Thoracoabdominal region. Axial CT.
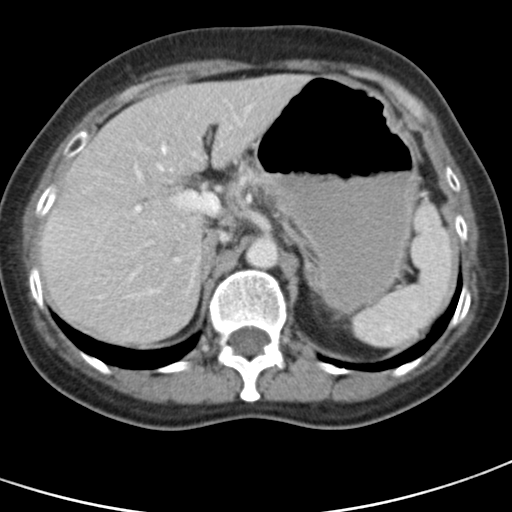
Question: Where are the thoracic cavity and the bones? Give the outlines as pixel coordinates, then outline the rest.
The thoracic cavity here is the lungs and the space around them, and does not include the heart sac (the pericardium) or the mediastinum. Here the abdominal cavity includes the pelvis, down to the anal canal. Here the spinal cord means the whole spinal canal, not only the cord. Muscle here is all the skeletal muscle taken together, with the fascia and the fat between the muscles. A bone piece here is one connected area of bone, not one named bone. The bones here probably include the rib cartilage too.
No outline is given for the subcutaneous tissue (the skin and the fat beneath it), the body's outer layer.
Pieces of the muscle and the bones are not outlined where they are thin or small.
Answer: Outlines (x, y in pixels):
thoracic cavity 1: (51, 313) (58, 316) (72, 328) (95, 340) (113, 346) (132, 350) (155, 350) (168, 348) (177, 345) (196, 335) (198, 335) (198, 342) (191, 351) (176, 361) (155, 368) (143, 369) (125, 368) (116, 365) (107, 364) (98, 357) (89, 354) (80, 349) (61, 330) (52, 318)
thoracic cavity 2: (459, 274) (461, 274) (462, 277) (462, 284) (452, 316) (441, 335) (423, 354) (393, 368) (375, 371) (339, 366) (330, 362) (320, 360) (318, 358) (317, 356) (320, 355) (354, 364) (374, 364) (389, 359) (407, 350) (423, 340) (431, 331) (434, 324) (444, 314) (456, 290)
bones 1: (243, 269) (260, 270) (272, 275) (279, 283) (287, 305) (286, 320) (280, 332) (280, 349) (285, 366) (280, 369) (273, 365) (258, 374) (255, 384) (260, 397) (252, 402) (240, 398) (243, 379) (239, 372) (218, 364) (219, 335) (209, 317) (209, 303) (217, 285) (230, 274), around a hole outlined by (243, 327) (255, 327) (261, 330) (263, 330) (268, 335) (269, 340) (268, 342) (266, 343) (262, 347) (262, 351) (261, 352) (253, 356) (248, 357) (240, 353) (238, 353) (236, 352) (235, 349) (229, 343) (229, 339) (230, 338) (230, 335) (236, 330) (240, 328) (242, 328)
bones 2: (380, 79) (387, 80) (396, 86) (400, 87) (414, 99) (415, 99) (423, 109) (423, 111) (426, 118) (425, 121) (424, 122) (420, 122) (418, 121) (418, 120) (409, 111) (409, 110) (398, 100) (395, 95) (389, 89) (388, 89) (386, 86) (384, 86) (381, 83)
bones 3: (463, 284) (466, 285) (470, 292) (471, 301) (469, 305) (469, 308) (465, 317) (455, 326) (451, 328) (449, 328) (448, 327) (448, 325) (453, 316) (453, 314) (457, 306) (457, 304) (459, 300) (459, 297) (460, 296) (460, 293) (461, 292) (461, 289) (462, 288) (462, 285)
bones 4: (33, 266) (36, 266) (38, 269) (39, 279) (41, 283) (41, 290) (42, 291) (42, 295) (43, 296) (43, 301) (44, 302) (44, 305) (46, 308) (46, 312) (44, 312) (39, 308) (38, 305) (35, 302) (31, 294) (31, 291) (29, 286) (29, 272) (30, 271) (30, 269)
bones 5: (53, 183) (54, 184) (56, 184) (57, 186) (57, 191) (56, 192) (55, 199) (53, 203) (47, 211) (47, 212) (43, 216) (41, 217) (39, 217) (35, 214) (35, 208) (36, 207) (36, 204) (41, 194) (43, 192) (43, 191) (49, 185)
bones 6: (83, 129) (85, 129) (87, 130) (88, 132) (88, 139) (87, 140) (87, 142) (85, 144) (85, 145) (77, 153) (75, 154) (75, 155) (74, 155) (70, 158) (67, 158) (65, 157) (63, 155) (63, 151) (67, 143) (69, 141) (69, 140) (77, 132)
bones 7: (78, 349) (85, 352) (89, 355) (94, 356) (95, 357) (98, 358) (103, 362) (104, 362) (107, 365) (108, 365) (109, 368) (112, 371) (112, 373) (111, 374) (104, 374) (103, 373) (100, 372) (95, 368) (94, 368) (91, 365) (90, 365) (84, 360) (84, 359) (80, 355)
bones 8: (153, 79) (155, 80) (154, 80) (150, 84) (150, 85) (149, 85) (144, 89) (141, 90) (126, 101) (117, 101) (116, 99) (117, 97) (126, 89) (129, 88) (133, 85) (135, 85) (136, 84) (138, 84) (142, 82) (145, 82) (148, 80) (152, 80)
bones 9: (422, 355) (423, 355) (423, 357) (422, 358) (422, 360) (419, 363) (419, 364) (416, 367) (410, 370) (405, 374) (403, 375) (401, 375) (400, 376) (394, 376) (391, 374) (391, 370) (392, 369) (406, 362) (411, 361) (417, 358) (419, 356) (421, 356)
spinal cord: (243, 327) (255, 327) (261, 330) (263, 330) (268, 335) (269, 340) (268, 342) (266, 343) (262, 347) (262, 351) (261, 352) (253, 356) (248, 357) (240, 353) (238, 353) (236, 352) (235, 349) (229, 343) (229, 339) (230, 338) (230, 335) (236, 330) (240, 328) (242, 328)
torso: (270, 24) (322, 25) (369, 37) (409, 58) (434, 82) (483, 163) (500, 203) (509, 259) (501, 318) (469, 364) (442, 390) (361, 427) (313, 429) (248, 418) (162, 431) (92, 411) (40, 376) (13, 327) (0, 286) (0, 199) (7, 181) (65, 97) (118, 53) (189, 28)
muscle: (211, 58) (227, 58) (256, 64) (264, 63) (271, 60) (287, 58) (311, 58) (312, 59) (324, 59) (337, 62) (343, 61) (365, 65) (395, 78) (413, 94) (420, 98) (429, 109) (435, 113) (441, 123) (442, 130) (447, 141) (447, 145) (450, 152) (467, 183) (471, 199) (471, 204) (475, 214) (475, 219) (479, 234) (477, 242) (477, 256) (478, 257) (477, 286) (479, 290) (478, 293) (479, 303) (476, 312) (476, 318) (463, 336) (453, 345) (449, 352) (435, 366) (414, 379) (402, 384) (399, 384) (374, 398) (353, 403) (326, 403) (325, 402) (303, 403) (302, 402) (269, 402) (268, 401) (246, 403) (243, 401) (234, 401) (228, 403) (211, 405) (188, 405) (187, 404) (176, 404) (170, 402) (167, 404) (157, 404) (136, 399) (128, 395) (120, 393) (113, 390) (107, 385) (87, 377) (76, 369) (71, 367) (51, 349) (44, 342) (38, 332) (35, 330) (34, 325) (30, 320) (28, 314) (28, 308) (24, 292) (22, 271) (20, 265) (20, 241) (22, 227) (21, 219) (30, 196) (37, 186) (38, 181) (56, 148) (71, 130) (76, 122) (89, 110) (116, 91) (121, 90) (141, 74) (178, 62) with holes at (268, 68) (335, 70) (382, 87) (387, 80) (421, 106) (426, 119) (417, 123) (460, 183) (449, 195) (467, 226) (467, 239) (459, 239) (471, 296) (465, 317) (403, 375) (391, 368) (332, 374) (317, 365) (287, 307) (285, 366) (258, 374) (260, 397) (252, 402) (240, 398) (239, 372) (218, 364) (219, 335) (209, 317) (182, 358) (188, 369) (109, 364) (111, 374) (100, 372) (39, 308) (29, 286) (44, 221) (36, 204) (72, 161) (64, 148) (151, 90) and at (153, 79) (155, 80) (154, 80) (150, 84) (150, 85) (149, 85) (144, 89) (141, 90) (126, 101) (117, 101) (116, 99) (117, 97) (126, 89) (129, 88) (133, 85) (135, 85) (136, 84) (138, 84) (142, 82) (145, 82) (148, 80) (152, 80)
abdominal cavity: (268, 68) (335, 70) (371, 80) (431, 137) (450, 188) (461, 273) (427, 335) (374, 363) (316, 355) (294, 326) (280, 283) (255, 268) (238, 269) (216, 285) (199, 340) (196, 334) (168, 347) (106, 343) (50, 313) (38, 268) (40, 230) (62, 174) (98, 125) (165, 85)